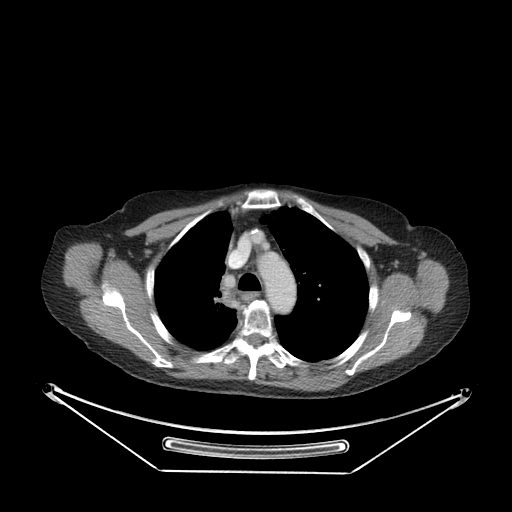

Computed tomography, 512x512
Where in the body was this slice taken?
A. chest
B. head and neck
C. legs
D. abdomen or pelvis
Answer: A. chest
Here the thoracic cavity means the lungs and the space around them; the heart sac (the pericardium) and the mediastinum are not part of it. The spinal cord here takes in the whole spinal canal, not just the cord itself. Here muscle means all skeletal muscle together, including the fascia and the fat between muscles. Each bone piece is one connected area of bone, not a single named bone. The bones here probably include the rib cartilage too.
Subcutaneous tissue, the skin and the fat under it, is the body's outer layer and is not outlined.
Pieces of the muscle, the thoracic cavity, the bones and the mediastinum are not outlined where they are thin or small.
Outlined structures:
thoracic cavity 1: (283, 205) (297, 207) (336, 233) (355, 249) (366, 272) (368, 283) (367, 311) (359, 333) (341, 352) (319, 361) (306, 361) (292, 354) (280, 343) (274, 327) (275, 316) (287, 316) (293, 311) (298, 298) (298, 284) (293, 270) (275, 236) (269, 226) (262, 223) (260, 219)
thoracic cavity 2: (222, 210) (227, 210) (229, 213) (231, 233) (223, 259) (224, 271) (220, 278) (219, 290) (223, 303) (227, 307) (233, 308) (238, 318) (233, 330) (233, 336) (220, 346) (203, 351) (195, 349) (176, 339) (162, 321) (154, 298) (155, 271) (166, 253) (191, 228) (208, 215)
right arm: (94, 221) (94, 250) (93, 251) (92, 261) (86, 282) (73, 308) (64, 319) (60, 322) (58, 322) (49, 313) (46, 308) (42, 298) (41, 290) (40, 289) (40, 276) (52, 243) (53, 236) (56, 230) (63, 225) (73, 224) (74, 223) (75, 224) (76, 223) (87, 224)
spinal cord: (254, 333) (257, 333) (258, 334) (259, 334) (263, 338) (263, 341) (262, 342) (262, 343) (256, 347) (255, 347) (254, 346) (253, 346) (251, 344) (250, 344) (248, 342) (248, 340) (247, 339) (247, 338) (249, 335) (250, 335) (251, 334) (253, 334)
muscle: (245, 189) (250, 189) (244, 191) (245, 198) (229, 210) (213, 212) (208, 208) (196, 215) (167, 245) (157, 267) (147, 267) (145, 290) (157, 310) (151, 309) (149, 317) (166, 343) (173, 345) (175, 339) (204, 352) (191, 357) (195, 364) (229, 365) (246, 356) (250, 381) (256, 378) (263, 356) (280, 369) (305, 367) (309, 362) (332, 369) (362, 346) (369, 333) (367, 328) (360, 332) (366, 314) (374, 311) (379, 299) (378, 285) (368, 282) (368, 252) (359, 244) (355, 248) (350, 245) (302, 196) (288, 193) (297, 206) (287, 205) (277, 189) (355, 213) (398, 241) (397, 245) (379, 244) (367, 250) (382, 279) (395, 271) (413, 275) (424, 258) (443, 264) (449, 276) (446, 301) (429, 321) (421, 343) (407, 355) (362, 371) (332, 390) (302, 391) (247, 380) (176, 378) (159, 368) (172, 368) (173, 363) (132, 326) (123, 295) (105, 280) (100, 284) (102, 303) (119, 309) (126, 328) (152, 353) (149, 361) (156, 367) (94, 332) (63, 281) (64, 253) (70, 245) (98, 242) (106, 252) (113, 249) (141, 273) (148, 262) (144, 236) (129, 237) (123, 234) (125, 230) (158, 212) (198, 205), around a hole outlined by (396, 309) (403, 311) (410, 311) (411, 312) (410, 318) (403, 322) (395, 322) (389, 330) (385, 343) (376, 352) (362, 361) (358, 365) (355, 372) (352, 375) (346, 374) (344, 371) (346, 369) (349, 369) (358, 358) (363, 354) (373, 349) (381, 342) (390, 321) (391, 314)
mediastinum: (240, 209) (275, 209) (262, 215) (259, 221) (268, 226) (297, 284) (297, 298) (292, 311) (287, 315) (275, 315) (273, 324) (270, 308) (263, 299) (252, 300) (243, 307) (238, 317) (236, 310) (227, 306) (222, 299) (220, 283) (232, 233) (229, 211) (235, 213)
left arm: (432, 226) (438, 228) (447, 234) (453, 240) (456, 247) (462, 253) (467, 263) (467, 269) (468, 270) (468, 285) (470, 291) (470, 309) (469, 310) (468, 316) (463, 311) (454, 299) (443, 279) (433, 249) (433, 245) (432, 244)
bones 1: (254, 300) (266, 302) (279, 343) (292, 355) (308, 362) (307, 365) (287, 364) (280, 368) (263, 355) (257, 361) (255, 378) (250, 380) (247, 377) (250, 361) (246, 355) (240, 355) (229, 364) (222, 361) (195, 363) (191, 360) (193, 356) (229, 342) (244, 307), around a hole outlined by (254, 333) (257, 333) (258, 334) (259, 334) (263, 338) (263, 341) (262, 342) (262, 343) (256, 347) (255, 347) (254, 346) (253, 346) (251, 344) (250, 344) (248, 342) (248, 340) (247, 339) (247, 338) (249, 335) (250, 335) (251, 334) (253, 334)
bones 2: (105, 281) (112, 287) (114, 287) (122, 295) (125, 304) (126, 316) (131, 326) (137, 330) (161, 356) (170, 361) (173, 365) (172, 367) (157, 367) (152, 364) (150, 360) (154, 357) (153, 353) (135, 334) (127, 328) (120, 309) (117, 307) (105, 305) (103, 303) (101, 284)
bones 3: (256, 188) (268, 188) (269, 189) (275, 189) (277, 190) (278, 196) (283, 203) (281, 206) (277, 208) (268, 208) (267, 209) (245, 209) (243, 210) (240, 208) (235, 212) (231, 212) (230, 210) (237, 205) (236, 203) (238, 201) (242, 202) (246, 198) (245, 191)
bones 4: (396, 309) (403, 311) (410, 311) (411, 312) (410, 318) (403, 322) (395, 322) (389, 330) (385, 343) (376, 352) (362, 361) (358, 365) (355, 372) (352, 375) (346, 374) (344, 371) (346, 369) (349, 369) (358, 358) (363, 354) (373, 349) (381, 342) (390, 321) (391, 314)
bones 5: (366, 329) (368, 330) (368, 333) (364, 341) (362, 343) (361, 346) (349, 359) (345, 361) (342, 364) (338, 366) (333, 367) (332, 368) (327, 368) (327, 365) (325, 363) (321, 362) (320, 361) (332, 358) (341, 353) (356, 339) (358, 335) (363, 330) (365, 330)
bones 6: (288, 194) (296, 194) (302, 197) (306, 201) (307, 201) (314, 208) (314, 209) (321, 216) (322, 216) (322, 217) (336, 230) (336, 232) (331, 230) (320, 220) (319, 220) (313, 215) (299, 208) (298, 206) (290, 198) (289, 198) (287, 196)
bones 7: (151, 310) (154, 310) (158, 314) (161, 321) (163, 323) (163, 324) (165, 326) (167, 330) (173, 336) (174, 338) (174, 343) (173, 344) (170, 344) (166, 342) (159, 335) (159, 334) (157, 332) (154, 326) (154, 324) (150, 317) (150, 311)
bones 8: (208, 209) (212, 209) (212, 212) (208, 214) (206, 216) (205, 216) (202, 219) (201, 219) (198, 222) (197, 222) (192, 227) (191, 227) (180, 238) (180, 239) (176, 243) (175, 243) (168, 250) (167, 250) (168, 245) (182, 230) (182, 229) (196, 216) (201, 214)
bones 9: (150, 265) (153, 265) (153, 266) (154, 267) (154, 269) (155, 270) (154, 271) (154, 285) (153, 286) (153, 299) (152, 300) (152, 301) (151, 301) (149, 299) (149, 297) (147, 294) (147, 291) (146, 290) (146, 272) (147, 271) (147, 269) (148, 268) (148, 267)
bones 10: (372, 284) (376, 284) (377, 285) (377, 286) (378, 287) (378, 299) (377, 300) (377, 303) (376, 304) (376, 306) (375, 307) (375, 308) (373, 310) (373, 311) (372, 312) (371, 312) (370, 313) (369, 313) (368, 312) (368, 296) (369, 295) (369, 286) (370, 285) (371, 285)
bones 11: (357, 245) (359, 245) (361, 247) (362, 247) (367, 252) (367, 253) (369, 256) (370, 263) (369, 264) (369, 270) (368, 271) (368, 272) (367, 272) (366, 271) (366, 270) (365, 269) (365, 267) (364, 266) (361, 259) (358, 255) (358, 253) (356, 250) (356, 246)
torso: (261, 181) (376, 199) (401, 211) (412, 225) (431, 226) (431, 244) (440, 274) (467, 316) (455, 337) (437, 355) (391, 381) (356, 394) (324, 399) (263, 398) (161, 386) (136, 378) (90, 351) (59, 323) (74, 308) (87, 282) (95, 250) (95, 221) (146, 191) (209, 189)